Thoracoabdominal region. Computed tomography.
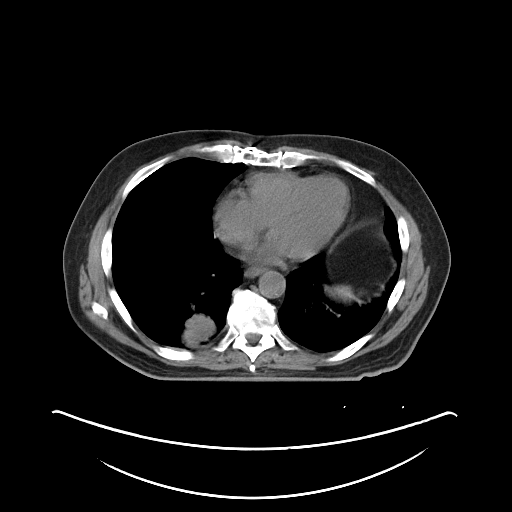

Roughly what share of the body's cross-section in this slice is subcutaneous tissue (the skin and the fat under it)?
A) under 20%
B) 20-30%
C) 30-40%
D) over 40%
B) 20-30%
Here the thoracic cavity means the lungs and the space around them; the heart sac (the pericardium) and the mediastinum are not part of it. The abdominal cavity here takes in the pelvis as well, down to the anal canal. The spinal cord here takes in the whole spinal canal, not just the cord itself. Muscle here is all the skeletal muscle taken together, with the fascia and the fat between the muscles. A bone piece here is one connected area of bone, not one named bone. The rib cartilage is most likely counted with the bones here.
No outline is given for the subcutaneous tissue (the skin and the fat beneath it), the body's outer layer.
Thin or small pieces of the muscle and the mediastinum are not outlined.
{"abdominal_cavity":[[[382,215],[384,218],[383,231],[390,242],[393,251],[393,257],[396,263],[395,271],[385,285],[383,293],[379,297],[374,298],[370,302],[362,305],[354,303],[349,306],[334,303],[324,295],[322,287],[324,281],[324,250],[352,224],[359,223],[373,217]]],"pericardium":[[[304,168],[314,168],[334,172],[343,176],[349,181],[353,191],[354,209],[350,225],[338,235],[325,249],[294,267],[287,273],[257,264],[244,263],[228,253],[214,235],[213,229],[214,206],[219,196],[227,186],[242,174],[254,170],[283,169],[296,171]]],"torso":[[[187,129],[339,135],[389,152],[412,172],[441,220],[449,243],[451,265],[431,319],[411,354],[399,367],[375,376],[364,376],[358,381],[159,380],[120,362],[78,328],[67,307],[62,251],[71,222],[86,192],[104,165],[126,146],[148,137]]],"muscle":[{"outer":[[221,139],[237,140],[245,144],[245,146],[229,142],[197,146],[195,148],[197,152],[211,154],[215,159],[188,156],[168,162],[172,157],[165,155],[135,172],[121,192],[122,203],[113,226],[109,226],[103,233],[100,244],[100,262],[104,275],[107,278],[112,278],[114,286],[108,287],[107,293],[116,311],[134,333],[138,332],[134,323],[156,343],[151,346],[156,354],[168,360],[187,361],[195,357],[192,350],[194,348],[216,343],[212,349],[219,353],[224,352],[229,347],[242,351],[249,358],[249,371],[242,368],[215,370],[199,366],[166,364],[119,342],[98,328],[86,317],[78,298],[79,270],[81,264],[87,262],[92,230],[125,179],[137,167],[160,156],[185,146]],"hole":[[93,301],[95,301],[96,302],[97,302],[98,303],[99,303],[102,306],[103,306],[106,308],[106,309],[107,310],[107,318],[106,319],[104,319],[100,315],[98,315],[97,314],[96,314],[93,312],[93,311],[91,308],[91,304]]},[[360,167],[375,173],[411,214],[421,233],[422,253],[425,264],[430,267],[424,302],[407,326],[391,341],[351,360],[312,370],[270,368],[254,372],[256,358],[277,345],[284,351],[298,351],[302,346],[318,353],[335,352],[324,359],[328,363],[348,358],[374,336],[370,331],[385,310],[388,313],[393,310],[402,295],[406,279],[399,275],[402,253],[408,251],[410,244],[408,222],[401,214],[395,216],[375,188],[375,178]],[[280,146],[293,146],[294,147],[301,147],[302,148],[309,148],[310,149],[313,149],[317,151],[321,151],[322,152],[329,153],[330,154],[332,154],[333,155],[335,155],[339,157],[337,157],[336,156],[331,156],[330,157],[327,157],[323,154],[316,154],[315,153],[306,153],[305,152],[302,152],[298,150],[288,150],[287,149],[286,150],[281,150],[279,149],[276,151],[269,151],[270,151],[272,149],[274,149]]],"mediastinum":[[[305,164],[323,164],[334,166],[365,182],[374,188],[383,199],[385,203],[384,214],[373,216],[362,221],[351,224],[354,217],[355,209],[354,208],[354,191],[350,181],[343,175],[327,169],[321,169],[314,167],[304,167],[296,170],[284,169],[293,168]],[[240,262],[247,265],[248,264],[249,265],[252,264],[253,265],[257,265],[273,269],[277,271],[280,271],[285,274],[287,274],[291,271],[286,276],[284,299],[277,310],[276,306],[265,297],[249,288],[242,288],[239,286],[241,284],[243,279],[243,269]],[[239,174],[241,174],[240,175],[239,175],[234,180],[233,180],[229,184],[228,184],[234,178],[235,178]]],"thoracic_cavity":[[[188,157],[245,165],[245,170],[234,177],[217,196],[212,214],[213,235],[223,250],[239,261],[242,279],[231,291],[225,319],[227,328],[223,335],[217,342],[196,346],[191,350],[158,344],[144,333],[134,322],[112,277],[113,227],[128,194],[166,164]],[[385,205],[396,220],[401,261],[398,278],[377,322],[367,333],[337,351],[318,352],[292,341],[283,333],[277,321],[277,311],[285,299],[287,276],[317,254],[323,251],[324,255],[323,295],[334,304],[362,306],[384,293],[397,268],[391,242],[384,231]]],"spinal_cord":[[[248,333],[255,333],[256,334],[259,334],[260,335],[260,337],[259,338],[259,339],[258,340],[258,341],[256,343],[255,343],[254,344],[249,344],[248,343],[248,341],[247,340],[247,339],[246,338],[246,335]]],"bones":[{"outer":[[237,287],[249,289],[275,306],[276,321],[280,330],[298,346],[298,350],[284,350],[277,344],[267,348],[255,358],[255,370],[252,372],[249,369],[250,358],[242,350],[230,346],[222,352],[213,349],[228,328],[226,325],[227,312],[232,301],[232,291]],"hole":[[248,333],[255,333],[256,334],[259,334],[260,335],[260,337],[259,338],[259,339],[258,340],[258,341],[256,343],[255,343],[254,344],[249,344],[248,343],[248,341],[247,340],[247,339],[246,338],[246,335]]},[[227,143],[240,147],[253,146],[267,152],[298,151],[347,160],[370,174],[374,178],[376,186],[373,187],[338,167],[328,158],[307,160],[304,164],[287,168],[256,166],[242,162],[222,162],[211,153],[199,152],[196,148]],[[165,156],[170,156],[171,157],[167,163],[158,169],[155,170],[152,173],[143,179],[138,184],[137,184],[127,194],[126,197],[123,201],[121,197],[122,195],[122,192],[126,184],[136,173],[136,172],[141,168],[151,163],[153,163],[163,158]],[[109,227],[112,227],[112,233],[111,234],[111,276],[110,277],[107,277],[105,275],[105,273],[104,272],[104,270],[103,269],[103,267],[102,266],[102,263],[101,262],[101,244],[102,243],[102,239],[103,238],[103,236],[104,235],[104,233]],[[154,344],[157,344],[161,346],[169,346],[170,347],[173,347],[177,349],[186,349],[187,350],[190,350],[193,352],[194,354],[194,357],[191,359],[188,359],[187,360],[174,360],[173,359],[168,359],[156,353],[156,352],[152,348],[152,346]],[[369,332],[373,333],[373,336],[370,339],[369,339],[358,350],[357,350],[354,353],[353,353],[348,357],[346,357],[340,360],[336,360],[335,361],[331,361],[330,362],[328,362],[325,360],[325,359],[327,357],[331,356],[341,349],[353,343]],[[110,287],[114,287],[121,301],[123,303],[127,311],[129,313],[133,321],[133,324],[137,330],[137,332],[136,333],[134,332],[127,325],[127,324],[123,320],[123,319],[117,311],[108,293],[108,288]],[[400,215],[404,217],[404,218],[407,222],[407,225],[408,226],[408,232],[409,233],[409,244],[408,245],[408,248],[406,252],[402,252],[401,250],[401,247],[400,246],[400,241],[399,240],[399,234],[398,233],[398,228],[397,227],[397,220],[396,218]],[[399,278],[404,278],[405,279],[405,283],[404,284],[404,287],[401,293],[401,295],[399,297],[396,304],[394,306],[392,310],[390,312],[388,312],[386,310],[386,305],[387,304],[388,299],[390,296],[390,294],[393,290]],[[93,301],[95,301],[96,302],[97,302],[98,303],[99,303],[102,306],[103,306],[106,308],[106,309],[107,310],[107,318],[106,319],[104,319],[100,315],[98,315],[97,314],[96,314],[93,312],[93,311],[91,308],[91,304]]]}